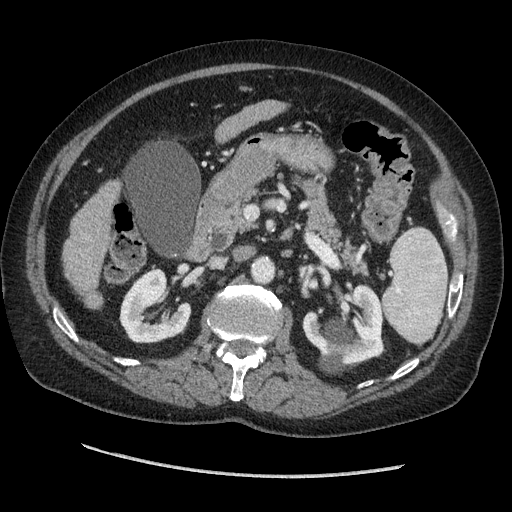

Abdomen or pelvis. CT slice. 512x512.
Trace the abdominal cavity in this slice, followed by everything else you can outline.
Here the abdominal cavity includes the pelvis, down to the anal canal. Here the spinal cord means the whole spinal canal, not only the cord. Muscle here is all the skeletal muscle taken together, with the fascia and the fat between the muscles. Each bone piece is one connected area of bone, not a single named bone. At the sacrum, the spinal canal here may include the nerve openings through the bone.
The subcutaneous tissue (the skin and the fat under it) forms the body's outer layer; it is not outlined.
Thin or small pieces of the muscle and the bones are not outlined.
{"abdominal_cavity":[[[262,69],[307,72],[358,90],[401,118],[437,161],[431,203],[451,258],[446,313],[431,343],[392,373],[356,384],[320,378],[298,360],[292,310],[261,285],[227,284],[203,308],[190,345],[139,359],[82,337],[48,286],[52,202],[94,136],[172,85]]],"bones":[{"outer":[[229,284],[253,284],[268,289],[280,300],[285,312],[283,322],[275,336],[264,346],[267,354],[264,362],[246,371],[243,378],[243,398],[239,401],[232,401],[229,398],[233,369],[216,356],[215,351],[221,340],[212,331],[206,319],[208,302]],"hole":[[238,339],[243,339],[244,340],[248,340],[251,342],[253,342],[256,345],[254,349],[254,351],[252,353],[250,353],[243,357],[239,357],[237,356],[230,350],[229,348],[229,346],[230,345],[230,342],[231,341],[233,340],[237,340]]},[[437,201],[442,205],[445,206],[457,219],[458,222],[458,226],[457,227],[458,232],[457,233],[456,241],[454,245],[454,246],[456,247],[456,249],[452,249],[446,241],[446,238],[443,231],[443,227],[440,222],[440,219],[439,218],[439,212],[437,209]],[[454,271],[461,271],[463,273],[463,287],[462,288],[461,299],[458,305],[458,307],[456,310],[456,312],[454,316],[450,319],[448,318],[447,316],[447,302],[448,301],[448,293],[449,292],[449,286],[450,285],[450,280],[452,277],[452,273]],[[53,298],[55,298],[59,302],[59,304],[61,306],[65,314],[66,318],[68,320],[69,323],[72,326],[73,329],[75,331],[79,339],[79,343],[76,343],[74,341],[73,341],[66,334],[65,334],[56,324],[52,315],[52,306],[53,305]],[[419,354],[420,354],[420,359],[419,360],[419,362],[418,364],[411,371],[410,371],[405,375],[399,378],[397,378],[394,380],[388,380],[387,379],[387,378],[390,375],[391,375],[400,366],[401,366],[405,362],[406,362],[411,358]],[[113,356],[121,356],[122,357],[129,357],[130,358],[134,358],[135,359],[137,359],[138,360],[139,360],[141,362],[141,363],[139,365],[134,365],[133,366],[124,366],[123,365],[121,365],[120,364],[117,363],[115,361],[114,361],[112,358],[112,357]]],"muscle":[{"outer":[[235,62],[259,62],[260,63],[268,63],[276,65],[294,65],[322,70],[351,79],[383,94],[405,111],[431,137],[445,155],[454,174],[458,178],[462,186],[466,190],[470,197],[473,204],[474,214],[476,217],[477,222],[477,230],[478,231],[477,244],[478,245],[478,255],[479,256],[477,276],[475,282],[471,311],[465,326],[459,334],[457,339],[454,341],[453,347],[449,350],[441,364],[434,372],[418,381],[409,388],[393,395],[370,401],[350,408],[341,413],[330,417],[327,417],[323,419],[314,419],[309,421],[292,421],[291,420],[272,419],[265,415],[259,414],[258,412],[253,410],[247,405],[239,402],[228,402],[218,406],[213,406],[207,408],[186,408],[168,403],[158,402],[142,397],[133,393],[113,381],[111,381],[100,373],[84,366],[79,361],[69,355],[57,344],[42,317],[39,314],[35,299],[29,287],[28,280],[26,276],[26,263],[25,262],[26,236],[27,235],[28,221],[37,190],[48,166],[55,157],[56,154],[75,135],[85,128],[95,123],[106,113],[137,91],[156,82],[192,70]],"hole":[[262,69],[307,72],[358,90],[401,118],[437,161],[431,203],[437,220],[438,201],[458,222],[449,255],[451,272],[463,273],[461,299],[418,364],[399,378],[380,376],[358,389],[320,378],[298,360],[290,340],[294,315],[285,304],[264,362],[244,375],[239,401],[229,398],[232,367],[215,354],[221,340],[207,324],[208,303],[190,345],[133,366],[117,363],[77,332],[76,343],[53,318],[48,219],[88,143],[157,91]]}],"torso":[[[247,38],[338,49],[388,67],[432,97],[485,163],[501,215],[503,288],[477,376],[453,406],[381,429],[306,438],[268,433],[238,422],[179,425],[125,417],[44,388],[29,375],[6,313],[0,245],[11,198],[33,155],[81,101],[118,75],[179,49]]],"spinal_cord":[[[238,339],[243,339],[244,340],[248,340],[251,342],[253,342],[256,345],[254,349],[254,351],[252,353],[250,353],[243,357],[239,357],[237,356],[230,350],[229,348],[229,346],[230,345],[230,342],[231,341],[233,340],[237,340]]]}